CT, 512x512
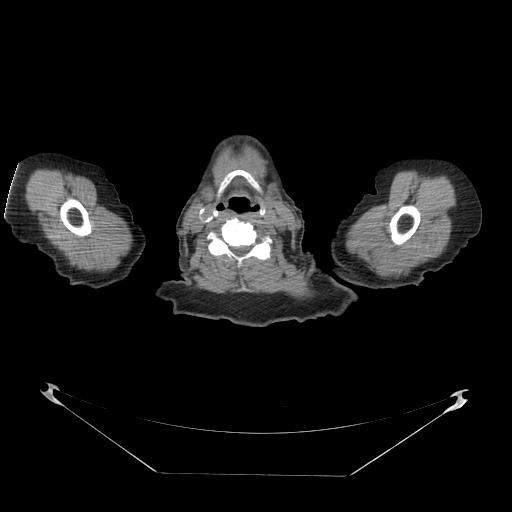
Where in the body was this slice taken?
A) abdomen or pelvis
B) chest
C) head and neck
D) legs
C) head and neck
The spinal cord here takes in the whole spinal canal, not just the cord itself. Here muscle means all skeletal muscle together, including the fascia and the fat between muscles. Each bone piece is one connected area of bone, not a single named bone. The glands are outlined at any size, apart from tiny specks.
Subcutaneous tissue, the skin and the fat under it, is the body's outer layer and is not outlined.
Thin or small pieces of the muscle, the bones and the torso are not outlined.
The submandibular glands appear in 2 outlined pieces: piece 1: 206,184 208,184 211,187 211,188 212,189 212,190 213,191 213,195 212,196 212,197 211,198 211,199 210,199 209,200 207,200 206,199 204,199 200,195 200,190 201,190 202,189 202,187 204,185 205,185; piece 2: 273,183 274,184 276,184 277,185 277,193 276,193 274,195 268,195 268,191 267,190 267,188 268,187 268,186 270,184 272,184. The head and neck is outlined by 237,132 252,133 267,147 286,192 301,209 305,221 302,240 305,266 300,284 284,310 265,327 240,325 227,319 204,318 194,309 178,281 179,253 178,238 175,233 177,218 194,191 214,145 222,137 with a hole at 233,198 244,198 247,200 248,202 248,205 250,207 253,207 256,205 257,205 258,207 256,209 248,209 242,212 238,212 235,210 233,210 231,209 229,206 229,202 230,200. The spinal cord is outlined by 229,246 232,246 233,247 239,247 240,246 251,246 251,247 250,248 250,249 246,253 245,253 243,255 241,255 240,256 239,256 238,255 237,255 236,254 235,254 229,248. The right arm is outlined by 42,151 63,153 103,167 107,178 114,184 120,201 131,209 134,221 146,235 146,245 129,274 122,280 100,288 69,285 67,278 55,272 48,256 33,244 21,243 12,235 4,214 17,166 22,158. The torso appears in 2 outlined pieces: piece 1: 306,249 309,249 313,252 317,264 323,271 332,275 339,283 347,286 350,285 349,283 360,287 359,290 363,295 340,316 327,315 316,319 308,319 303,322 292,319 273,323 292,301 301,284 306,266; piece 2: 169,279 177,280 180,289 188,299 188,301 192,306 193,309 202,317 198,317 192,315 187,315 186,314 173,314 172,313 172,304 169,301 165,301 154,297 153,293 156,287 162,281 164,280 168,280. The left arm is outlined by 409,157 444,158 467,174 482,206 483,217 478,234 469,240 451,263 436,272 426,272 418,286 411,284 400,288 372,289 333,275 329,266 329,249 338,222 352,211 365,193 376,192 374,177 380,168 394,160. The bones appear in 4 outlined pieces: piece 1: 235,216 243,221 253,221 254,227 260,236 266,234 270,236 272,242 270,244 270,256 267,259 261,260 251,256 238,267 236,261 226,254 216,256 210,253 208,250 210,241 206,237 209,231 218,232 226,219; inner edge: 229,246 232,246 233,247 239,247 240,246 251,246 251,247 250,248 250,249 246,253 245,253 243,255 241,255 240,256 239,256 238,255 237,255 236,254 235,254 229,248; piece 2: 405,204 413,204 417,207 417,208 420,212 420,221 414,233 406,241 405,241 402,244 400,245 396,245 393,243 390,237 390,232 389,231 389,222 392,216 397,211 397,210 401,206; piece 3: 70,197 77,199 82,204 82,205 88,212 88,217 89,218 89,220 91,224 91,227 92,228 91,232 88,235 86,235 85,236 78,236 76,235 70,231 64,225 60,219 60,214 59,213 60,206 64,201; piece 4: 237,169 241,169 248,172 254,178 254,179 256,180 260,186 262,190 262,192 261,193 258,193 243,177 241,176 236,176 234,177 227,185 224,189 220,198 218,200 216,195 221,181 229,172 231,172. The muscle appears in 3 outlined pieces: piece 1: 245,139 253,143 268,161 268,166 283,199 292,207 300,220 301,225 296,234 297,253 308,267 307,271 310,278 320,292 312,298 300,300 283,293 258,295 244,292 217,294 191,288 185,283 189,276 187,272 188,264 185,257 184,240 179,231 182,227 183,217 199,192 204,200 212,199 214,191 208,183 204,183 210,177 211,168 219,149 225,143; inner edges: 235,216 243,221 253,221 254,227 260,236 266,234 270,236 272,242 270,244 270,256 267,259 261,260 251,256 238,267 236,261 226,254 216,256 210,253 208,250 210,241 206,237 209,231 218,232 226,219, then 237,169 241,169 248,172 254,178 254,179 256,180 260,186 262,190 262,192 261,193 258,193 243,177 241,176 236,176 234,177 227,185 224,189 220,198 218,200 216,195 221,181 229,172 231,172, then 233,198 244,198 247,200 248,202 248,205 250,207 253,207 256,205 257,205 258,207 256,209 248,209 242,212 238,212 235,210 233,210 231,209 229,206 229,202 230,200, then 273,183 274,184 276,184 277,185 277,193 276,193 274,195 268,195 268,191 267,190 267,188 268,187 268,186 270,184 272,184, then 261,201 262,202 262,204 263,205 263,206 264,207 264,208 265,209 265,212 263,214 263,215 261,215 259,213 259,210 260,209 260,202; piece 2: 404,169 415,169 429,175 444,173 451,178 457,195 457,205 451,213 452,231 446,250 438,257 413,268 407,275 382,278 370,270 362,260 346,251 344,236 349,226 359,216 372,206 387,200 393,176 396,172 with a hole at 405,204 413,204 417,207 417,208 420,212 420,221 414,233 406,241 405,241 402,244 400,245 396,245 393,243 390,237 390,232 389,231 389,222 392,216 397,211 397,210 401,206; piece 3: 37,167 58,168 89,178 96,186 99,202 127,222 133,236 133,245 129,253 121,258 121,261 116,268 109,272 98,273 94,271 86,272 72,267 60,252 43,236 36,218 30,213 24,198 26,180 30,172 with a hole at 70,197 77,199 82,204 82,205 88,212 88,217 89,218 89,220 91,224 91,227 92,228 91,232 88,235 86,235 85,236 78,236 76,235 70,231 64,225 60,219 60,214 59,213 60,206 64,201.